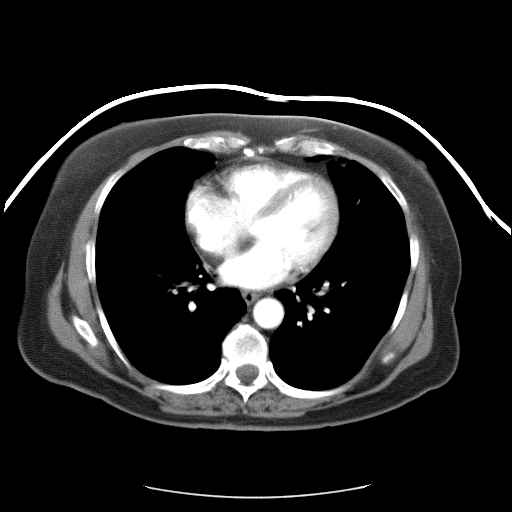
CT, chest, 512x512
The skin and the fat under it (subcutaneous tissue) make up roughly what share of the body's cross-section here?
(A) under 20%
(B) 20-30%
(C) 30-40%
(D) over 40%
Answer: (B) 20-30%
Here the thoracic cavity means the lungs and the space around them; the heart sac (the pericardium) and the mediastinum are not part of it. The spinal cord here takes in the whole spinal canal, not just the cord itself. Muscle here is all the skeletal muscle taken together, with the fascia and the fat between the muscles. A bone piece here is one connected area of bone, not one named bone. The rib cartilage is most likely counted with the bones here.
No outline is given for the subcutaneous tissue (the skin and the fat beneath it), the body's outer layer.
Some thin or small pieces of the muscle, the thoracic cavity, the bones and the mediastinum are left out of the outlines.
Outlines (x, y in pixels):
muscle 1: [[108,176],[93,207],[94,214],[98,216],[95,238],[90,238],[84,246],[86,275],[88,281],[96,285],[100,303],[96,304],[95,310],[108,343],[129,370],[131,364],[157,381],[152,383],[153,388],[192,395],[210,392],[222,382],[239,393],[244,404],[253,393],[269,383],[282,395],[299,399],[319,399],[346,391],[350,385],[345,383],[363,367],[384,335],[396,329],[408,303],[409,291],[404,288],[410,270],[414,271],[418,264],[420,242],[415,233],[408,235],[404,213],[409,207],[402,191],[416,211],[430,254],[433,316],[430,352],[374,393],[310,410],[296,417],[207,416],[163,411],[155,400],[98,372],[61,346],[47,322],[47,292],[64,259],[75,223],[93,192]]; inner edges: [[72,315],[76,315],[80,318],[85,320],[88,323],[88,324],[90,326],[94,335],[96,337],[96,338],[98,341],[98,344],[96,346],[91,346],[89,344],[89,343],[76,330],[76,329],[72,322],[72,320],[71,319],[71,317],[72,316]], then [[389,352],[392,352],[393,353],[393,357],[392,358],[391,358],[388,361],[388,362],[387,362],[386,363],[383,363],[382,362],[382,358],[386,354],[387,354]]
muscle 2: [[213,130],[240,131],[248,136],[259,140],[292,133],[301,133],[323,138],[336,143],[348,150],[361,155],[380,165],[387,170],[393,180],[388,174],[382,170],[376,170],[375,171],[376,175],[363,164],[354,159],[348,159],[345,157],[335,155],[340,148],[335,144],[326,140],[319,140],[315,138],[299,138],[295,135],[283,136],[277,138],[273,141],[271,147],[264,143],[259,143],[255,147],[252,147],[249,145],[250,141],[247,138],[232,134],[227,136],[217,134],[211,134],[203,136],[188,136],[182,141],[181,143],[182,145],[176,145],[157,151],[146,157],[128,170],[128,168],[126,166],[118,168],[132,154],[141,149],[150,146],[159,145],[184,135],[197,134]]
mediastinum 1: [[292,286],[293,289],[284,288],[283,289],[276,290],[274,292],[273,294],[276,298],[282,302],[285,308],[285,312],[282,322],[272,334],[268,342],[266,338],[249,323],[238,322],[233,327],[246,311],[246,304],[239,290],[236,288],[254,292],[272,292],[275,290],[281,288],[291,288]]
mediastinum 2: [[275,151],[306,156],[308,157],[308,161],[314,162],[324,159],[327,156],[337,156],[340,157],[339,159],[345,164],[341,165],[333,161],[328,164],[328,172],[331,181],[328,177],[318,171],[308,170],[291,162],[276,159],[270,156],[256,156]]
mediastinum 3: [[236,150],[241,150],[242,153],[245,156],[244,157],[235,157],[231,159],[228,159],[227,160],[222,161],[220,163],[218,163],[217,165],[214,167],[215,165],[215,156],[212,153],[208,151],[206,151],[209,151],[214,153],[226,153],[227,154]]
pericardium: [[245,157],[270,157],[291,163],[308,171],[318,172],[328,178],[335,189],[339,208],[337,233],[319,263],[305,277],[291,287],[281,287],[272,291],[254,291],[222,284],[208,270],[194,249],[187,233],[185,226],[185,201],[193,183],[218,164],[235,158]]
bones 1: [[238,323],[249,324],[265,338],[268,358],[275,372],[289,385],[306,390],[349,386],[329,396],[299,398],[282,394],[269,382],[253,392],[245,403],[239,392],[222,381],[210,391],[192,394],[153,387],[154,382],[183,385],[210,376],[220,364],[222,341]]; inner edge: [[244,365],[252,365],[253,366],[256,367],[257,368],[257,370],[258,371],[258,373],[257,374],[257,375],[251,381],[251,382],[250,383],[248,383],[247,384],[246,383],[243,383],[236,374],[236,370],[239,367],[240,367],[241,366],[243,366]]
bones 2: [[211,135],[223,137],[232,135],[245,138],[252,148],[259,144],[271,148],[275,140],[290,136],[299,139],[326,141],[339,148],[334,155],[316,154],[307,156],[275,150],[257,154],[254,157],[247,157],[241,149],[227,153],[184,146],[182,143],[188,137]]
bones 3: [[97,304],[100,304],[102,308],[102,310],[104,313],[104,315],[106,318],[106,320],[108,323],[108,325],[120,349],[122,351],[125,357],[128,360],[131,366],[131,368],[130,369],[129,369],[124,364],[109,343],[100,324],[100,321],[96,310],[96,306]]
bones 4: [[124,167],[126,167],[127,168],[126,172],[119,178],[119,179],[113,185],[107,194],[103,202],[103,204],[100,209],[99,214],[98,215],[95,214],[94,212],[95,203],[101,191],[102,187],[110,175],[111,175],[118,169],[120,168],[123,168]]
bones 5: [[376,171],[382,171],[384,173],[388,175],[389,177],[394,182],[394,183],[399,188],[402,194],[404,196],[407,203],[408,209],[406,212],[404,212],[403,211],[401,206],[399,204],[397,200],[387,188],[387,187],[378,177],[377,175],[377,172]]
bones 6: [[93,238],[94,238],[95,239],[95,283],[92,283],[91,282],[90,282],[88,279],[88,276],[87,275],[87,271],[86,270],[86,262],[85,261],[85,256],[86,255],[86,251],[85,250],[85,246],[86,245],[86,243],[90,239],[92,239]]
bones 7: [[72,315],[76,315],[80,318],[85,320],[88,323],[88,324],[90,326],[94,335],[96,337],[96,338],[98,341],[98,344],[96,346],[91,346],[89,344],[89,343],[76,330],[76,329],[72,322],[72,320],[71,319],[71,317],[72,316]]
bones 8: [[412,233],[415,234],[417,236],[417,238],[418,239],[418,241],[419,242],[419,255],[418,256],[418,259],[417,260],[417,264],[416,265],[416,266],[415,267],[414,270],[411,270],[410,269],[410,249],[409,248],[409,235]]
bones 9: [[405,289],[408,291],[408,296],[407,297],[407,303],[406,304],[404,312],[395,329],[391,333],[389,333],[388,332],[388,330],[390,328],[390,326],[393,321],[393,319],[395,316],[395,314],[397,311],[397,309],[399,305],[399,302],[400,301],[401,296]]
torso: [[212,112],[340,122],[384,136],[426,163],[444,198],[461,254],[461,279],[454,306],[460,356],[449,381],[401,407],[361,421],[307,430],[237,431],[185,428],[148,421],[99,398],[52,383],[26,364],[16,342],[26,252],[62,159],[88,136],[123,120]]
thoracic cavity 1: [[176,146],[202,150],[214,156],[213,167],[192,181],[184,201],[184,226],[193,249],[211,276],[220,286],[237,289],[245,304],[244,313],[221,341],[217,368],[199,381],[183,384],[158,381],[130,363],[109,325],[96,284],[96,235],[108,194],[137,164]]
thoracic cavity 2: [[341,157],[371,171],[400,206],[408,236],[409,271],[389,328],[362,367],[338,386],[306,389],[282,379],[269,358],[270,339],[286,312],[283,302],[274,294],[284,289],[293,290],[320,263],[338,233],[339,201],[328,166],[331,162],[344,166],[346,163]]
spinal cord: [[244,365],[252,365],[253,366],[256,367],[257,368],[257,370],[258,371],[258,373],[257,374],[257,375],[251,381],[251,382],[250,383],[248,383],[247,384],[246,383],[243,383],[236,374],[236,370],[239,367],[240,367],[241,366],[243,366]]